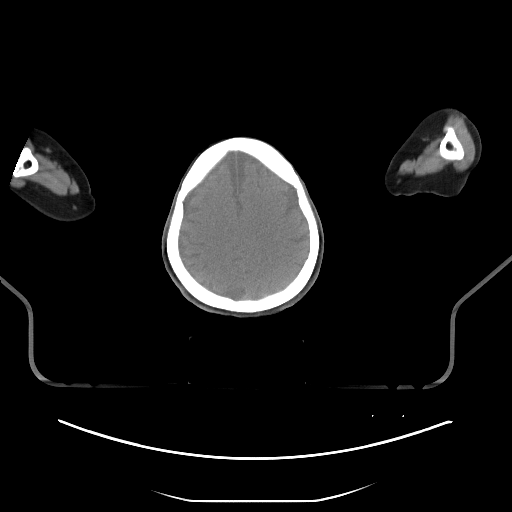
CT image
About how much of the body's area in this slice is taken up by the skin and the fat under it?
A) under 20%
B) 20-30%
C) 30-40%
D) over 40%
Answer: B) 20-30%
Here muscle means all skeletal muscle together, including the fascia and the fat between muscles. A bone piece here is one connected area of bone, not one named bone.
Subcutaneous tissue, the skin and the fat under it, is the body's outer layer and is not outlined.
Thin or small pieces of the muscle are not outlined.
head: 242 135; 252 136; 269 142; 292 164; 307 186; 321 218; 324 232; 324 252; 320 271; 309 291; 294 305; 278 313; 247 319; 209 313; 189 302; 182 296; 171 280; 164 267; 161 256; 162 229; 172 197; 192 160; 213 142; 222 138
left arm: 444 106; 453 106; 458 108; 464 112; 475 124; 479 132; 482 145; 481 157; 478 164; 469 175; 460 193; 454 197; 444 197; 432 193; 418 193; 413 195; 392 195; 390 194; 384 185; 384 174; 391 158; 417 124; 426 115
right arm: 36 127; 44 130; 55 138; 76 160; 86 174; 90 184; 91 191; 95 198; 95 209; 90 215; 82 219; 71 222; 58 221; 40 213; 14 193; 10 191; 9 185; 12 178; 12 173; 15 165; 22 149; 26 145; 26 142; 31 132
bones 1: 233 136; 253 137; 268 142; 279 150; 292 164; 305 188; 319 233; 319 249; 316 263; 304 287; 288 301; 273 308; 258 312; 235 312; 213 307; 198 300; 182 285; 170 265; 166 252; 167 230; 176 194; 186 172; 204 149; 220 140 with a hole at 229 152; 241 152; 251 156; 284 182; 289 184; 295 190; 297 205; 307 225; 308 250; 306 257; 295 276; 281 289; 258 298; 235 299; 209 289; 200 283; 188 270; 182 259; 179 248; 180 231; 185 213; 184 202; 188 194
bones 2: 447 126; 451 126; 453 127; 454 129; 454 131; 455 132; 455 134; 463 147; 463 149; 464 150; 464 155; 463 156; 463 158; 460 160; 448 160; 447 159; 445 159; 443 158; 439 154; 439 146; 440 145; 441 140; 446 132; 446 127
bones 3: 24 146; 27 146; 31 150; 33 155; 37 160; 37 162; 38 163; 38 169; 37 171; 33 174; 27 175; 26 176; 21 176; 20 177; 14 177; 12 176; 12 173; 15 167; 15 165; 18 160; 18 158; 20 155; 20 153
muscle 1: 451 112; 455 112; 462 116; 474 140; 475 155; 471 164; 463 171; 456 171; 451 165; 448 165; 438 172; 427 174; 424 176; 399 175; 397 173; 399 165; 404 160; 415 157; 420 143; 423 139; 436 132; 438 130; 438 126; inner edge: 447 126; 451 126; 453 127; 454 129; 454 131; 455 132; 455 134; 463 147; 463 149; 464 150; 464 155; 463 156; 463 158; 460 160; 448 160; 447 159; 445 159; 443 158; 439 154; 439 146; 440 145; 441 140; 446 132; 446 127
muscle 2: 28 142; 32 142; 39 151; 51 159; 56 160; 69 175; 75 179; 81 191; 78 196; 73 198; 58 196; 41 185; 33 182; 28 182; 24 187; 21 188; 17 188; 13 185; 14 178; 33 175; 39 169; 38 160; 32 150; 26 145
brain: 229 152; 241 152; 251 156; 284 182; 289 184; 295 190; 297 205; 307 225; 308 250; 306 257; 295 276; 281 289; 258 298; 235 299; 209 289; 200 283; 188 270; 182 259; 179 248; 180 231; 185 213; 184 202; 188 194